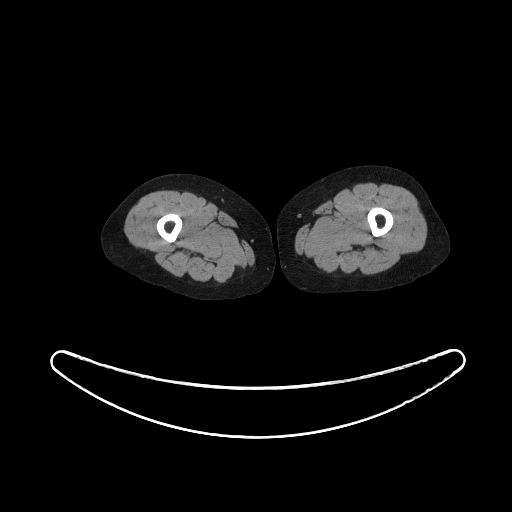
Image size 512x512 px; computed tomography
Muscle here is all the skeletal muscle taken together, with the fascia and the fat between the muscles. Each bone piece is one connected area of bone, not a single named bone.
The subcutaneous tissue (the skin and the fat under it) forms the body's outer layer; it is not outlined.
{"right_leg":[[[169,173],[190,173],[213,179],[243,197],[263,216],[271,234],[275,255],[275,265],[271,280],[261,291],[255,294],[233,299],[196,300],[173,293],[163,287],[143,282],[118,269],[106,259],[100,243],[100,234],[102,227],[109,215],[136,187],[151,178]]],"bones":[[[375,206],[380,206],[381,207],[383,207],[387,209],[391,212],[393,216],[393,224],[391,228],[385,234],[381,236],[378,236],[377,237],[374,236],[371,233],[371,230],[369,227],[369,225],[367,221],[367,214],[368,212],[372,207],[374,207]],[[170,212],[171,213],[177,213],[179,214],[182,220],[182,226],[181,227],[181,229],[176,239],[173,242],[168,242],[166,241],[163,238],[162,238],[159,235],[156,229],[156,223],[158,219],[166,213],[169,213]]],"left_leg":[[[365,164],[386,165],[398,168],[414,177],[421,184],[447,229],[450,240],[450,251],[447,258],[429,274],[416,279],[412,283],[386,290],[315,294],[306,293],[297,289],[287,280],[281,270],[279,263],[276,221],[280,211],[296,193],[318,179],[343,168]]],"muscle":[{"outer":[[361,182],[399,184],[411,189],[418,196],[422,213],[427,224],[427,238],[424,250],[390,272],[376,274],[371,276],[362,276],[358,278],[328,277],[302,264],[298,259],[293,243],[299,224],[306,215],[330,195],[344,188],[348,188],[356,183]],"hole":[[375,206],[380,206],[381,207],[383,207],[387,209],[391,212],[393,216],[393,224],[391,228],[385,234],[381,236],[378,236],[377,237],[374,236],[371,233],[371,230],[369,227],[369,225],[367,221],[367,214],[368,212],[372,207],[374,207]]},{"outer":[[166,188],[186,190],[202,196],[235,218],[247,232],[256,248],[258,263],[255,272],[232,283],[223,285],[214,290],[209,290],[195,283],[172,276],[153,262],[144,251],[134,247],[128,241],[123,231],[123,225],[128,211],[143,195],[152,191],[162,190]],"hole":[[170,212],[171,213],[177,213],[179,214],[182,220],[182,226],[181,227],[181,229],[176,239],[173,242],[168,242],[166,241],[163,238],[162,238],[159,235],[156,229],[156,223],[158,219],[166,213],[169,213]]}]}